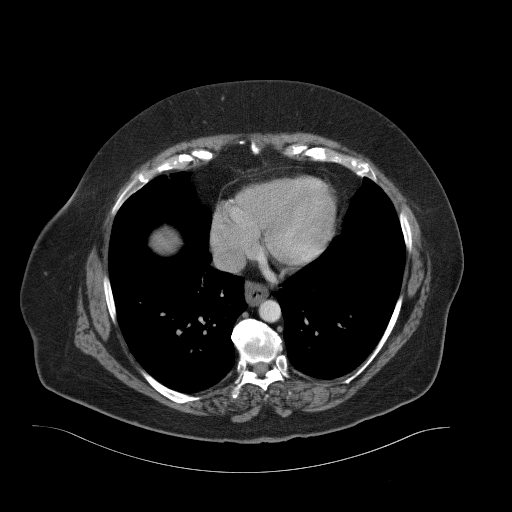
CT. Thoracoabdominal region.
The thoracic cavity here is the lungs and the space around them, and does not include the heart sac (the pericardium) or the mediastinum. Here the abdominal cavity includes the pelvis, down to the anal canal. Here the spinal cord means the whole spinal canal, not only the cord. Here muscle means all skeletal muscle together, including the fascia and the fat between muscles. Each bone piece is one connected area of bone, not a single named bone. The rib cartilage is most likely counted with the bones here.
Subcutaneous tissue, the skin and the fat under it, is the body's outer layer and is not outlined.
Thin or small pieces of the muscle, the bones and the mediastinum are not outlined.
Outlines (x, y in pixels):
pericardium: [[288,166],[323,168],[337,176],[345,190],[346,195],[337,233],[315,259],[293,274],[285,277],[281,281],[273,285],[254,282],[215,264],[214,256],[210,249],[209,243],[212,207],[214,206],[217,198],[225,186],[231,181],[238,178],[254,175],[274,168]]
torso: [[243,79],[300,80],[348,94],[393,121],[432,167],[452,207],[464,254],[432,385],[417,399],[342,430],[250,444],[155,432],[48,390],[38,378],[32,339],[19,306],[25,266],[40,229],[66,202],[98,149],[133,116],[182,90]]
bones 1: [[248,317],[265,323],[282,338],[283,352],[289,365],[290,376],[286,377],[282,381],[277,380],[270,383],[265,391],[258,385],[246,383],[241,387],[237,397],[233,398],[230,391],[236,375],[235,366],[239,355],[231,339],[231,334],[235,324],[238,321]], around a hole outlined by [[259,362],[263,362],[264,363],[266,363],[269,366],[269,368],[266,371],[266,372],[263,375],[263,376],[259,376],[253,370],[253,369],[252,368],[253,367],[253,366],[255,364],[256,364],[257,363],[258,363]]
bones 2: [[193,149],[206,149],[212,152],[214,156],[212,159],[206,161],[196,158],[195,162],[190,162],[187,165],[189,167],[185,169],[164,170],[154,176],[133,193],[121,205],[115,215],[112,216],[112,207],[120,194],[136,174],[161,163],[173,155],[189,153]]
bones 3: [[291,144],[305,144],[309,147],[313,146],[325,147],[343,154],[361,159],[367,162],[374,171],[377,179],[383,186],[383,189],[368,177],[365,176],[362,178],[349,168],[339,163],[329,161],[315,161],[301,154],[293,156],[286,156],[282,152],[287,146]]
bones 4: [[400,294],[402,294],[403,298],[402,299],[402,304],[399,314],[392,330],[390,332],[382,347],[371,362],[360,374],[354,378],[349,383],[343,383],[342,381],[351,375],[365,361],[376,347],[385,331],[385,329],[389,322],[389,320],[394,310],[396,302]]
bones 5: [[140,368],[144,369],[157,381],[172,390],[174,390],[181,393],[184,393],[185,394],[189,394],[190,395],[197,395],[198,396],[200,396],[201,398],[198,400],[188,401],[183,403],[178,403],[177,402],[175,402],[157,391],[141,374],[139,370]]
bones 6: [[105,274],[108,275],[108,278],[109,279],[109,282],[111,287],[111,291],[113,296],[113,301],[115,305],[116,320],[117,321],[116,324],[114,324],[111,319],[111,317],[108,310],[107,303],[105,299],[105,294],[104,293],[104,289],[103,288],[103,276]]
bones 7: [[401,209],[404,209],[407,215],[408,221],[411,228],[411,240],[412,241],[411,242],[411,251],[410,252],[408,252],[406,250],[406,247],[404,242],[404,238],[403,237],[403,233],[402,232],[402,229],[401,228],[401,225],[398,216],[398,214]]
bones 8: [[251,139],[254,139],[257,142],[257,143],[260,146],[262,146],[262,150],[261,151],[261,152],[259,154],[258,154],[257,155],[255,155],[254,154],[253,154],[251,152],[251,151],[250,150],[250,148],[249,147],[249,144],[250,143],[250,140]]
spinal cord: [[259,362],[263,362],[264,363],[266,363],[269,366],[269,368],[266,371],[266,372],[263,375],[263,376],[259,376],[253,370],[253,369],[252,368],[253,367],[253,366],[255,364],[256,364],[257,363],[258,363]]
mediastinum 1: [[231,145],[247,147],[255,156],[269,149],[280,156],[336,163],[361,178],[361,185],[350,199],[342,218],[339,233],[346,190],[338,176],[323,167],[288,165],[235,178],[224,186],[211,210],[198,198],[187,171],[179,171],[169,178],[159,174],[208,162]]
mediastinum 2: [[244,278],[250,280],[254,283],[263,284],[266,286],[273,286],[286,278],[281,283],[281,287],[276,290],[274,293],[274,296],[279,304],[283,317],[282,337],[273,328],[265,322],[257,318],[248,316],[237,321],[238,317],[248,307],[244,297]]
mediastinum 3: [[209,244],[209,249],[211,251],[211,253],[213,256],[213,260],[214,261],[213,262],[214,264],[224,270],[226,270],[233,273],[231,273],[228,271],[222,271],[219,269],[217,269],[213,267],[211,265],[211,262],[212,261],[212,255],[209,251]]
muscle: [[297,131],[309,132],[314,134],[318,134],[328,138],[331,138],[334,140],[339,141],[351,149],[367,156],[398,187],[400,191],[407,198],[408,204],[417,220],[422,237],[422,246],[423,249],[428,252],[431,262],[430,289],[428,293],[428,296],[425,301],[423,313],[417,328],[407,341],[389,361],[352,396],[331,408],[328,408],[320,411],[302,411],[297,409],[294,410],[288,416],[283,417],[276,413],[273,409],[267,405],[264,406],[259,411],[258,414],[251,419],[243,422],[233,422],[226,415],[202,416],[201,415],[196,415],[183,412],[167,406],[128,386],[114,376],[94,357],[84,353],[75,346],[73,341],[73,336],[77,320],[77,312],[76,311],[77,310],[76,307],[78,298],[78,289],[79,286],[82,283],[83,284],[85,281],[85,264],[88,254],[97,240],[106,212],[113,200],[114,196],[120,187],[128,179],[129,176],[136,167],[148,159],[153,157],[160,151],[167,147],[178,142],[184,140],[189,140],[192,138],[219,134],[220,133],[235,133],[236,132],[261,132],[265,133],[266,132],[296,132]]; inner edge: [[241,139],[244,147],[254,139],[280,156],[291,144],[305,144],[368,163],[395,211],[404,209],[411,228],[411,251],[405,252],[399,291],[402,304],[378,353],[349,383],[342,381],[355,369],[322,379],[290,366],[290,376],[270,383],[265,391],[246,383],[233,398],[235,372],[223,385],[193,393],[200,399],[178,403],[144,378],[119,324],[111,319],[103,288],[115,217],[111,210],[139,172],[193,149],[206,149],[214,159]]
thoracic cavity 1: [[179,172],[189,174],[197,198],[211,211],[208,233],[210,265],[243,278],[243,297],[247,305],[237,317],[230,334],[238,355],[233,375],[221,386],[192,394],[172,389],[157,380],[130,351],[117,320],[108,268],[112,226],[122,205],[157,175],[169,179]]; inner edge: [[162,224],[168,224],[170,226],[172,226],[175,228],[179,232],[183,240],[183,245],[179,251],[174,255],[167,256],[166,257],[158,255],[154,253],[154,252],[152,251],[148,246],[147,243],[148,241],[148,237],[150,235],[151,232],[154,229],[157,228]]
thoracic cavity 2: [[365,177],[385,192],[397,213],[406,251],[399,294],[382,335],[373,350],[357,368],[332,379],[312,377],[298,371],[289,364],[284,352],[284,317],[275,293],[282,287],[282,283],[288,277],[315,260],[333,238],[340,233],[350,201],[362,185],[362,179]]
abdominal cavity: [[162,224],[168,224],[170,226],[172,226],[175,228],[179,232],[183,240],[183,245],[179,251],[174,255],[167,256],[166,257],[158,255],[154,253],[154,252],[152,251],[148,246],[147,243],[148,241],[148,237],[150,235],[151,232],[154,229],[157,228]]